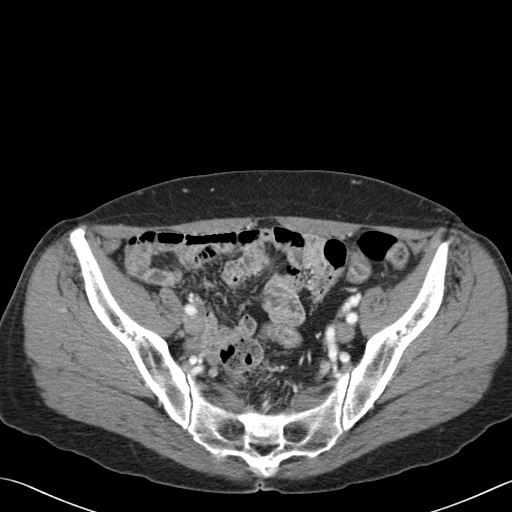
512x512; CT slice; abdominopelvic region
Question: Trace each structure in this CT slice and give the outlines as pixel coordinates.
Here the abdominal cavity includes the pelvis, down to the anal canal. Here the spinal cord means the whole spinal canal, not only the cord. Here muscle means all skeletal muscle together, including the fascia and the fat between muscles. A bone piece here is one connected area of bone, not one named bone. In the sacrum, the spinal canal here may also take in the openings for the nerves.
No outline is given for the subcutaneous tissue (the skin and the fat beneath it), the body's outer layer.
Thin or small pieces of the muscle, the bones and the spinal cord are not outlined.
Answer: The abdominal cavity is outlined by 264 220; 341 238; 382 230; 416 241; 421 254; 394 287; 363 291; 359 360; 300 410; 270 410; 265 400; 262 410; 236 411; 216 401; 200 371; 169 347; 184 322; 182 298; 171 287; 155 293; 130 281; 109 256; 132 232; 228 230. The spinal cord is outlined by 251 443; 252 443; 253 444; 259 444; 260 443; 261 444; 262 444; 263 445; 275 445; 275 446; 274 446; 268 452; 267 452; 266 453; 264 453; 263 454; 262 454; 260 452; 259 452; 257 450; 256 450; 251 445. The bones are outlined by 78 226; 119 306; 236 412; 262 411; 265 401; 270 411; 300 411; 322 400; 334 374; 356 365; 367 340; 409 307; 438 246; 452 241; 442 302; 373 406; 328 450; 293 455; 265 477; 239 456; 217 458; 167 414; 88 301; 67 239, around a hole outlined by 251 443; 252 443; 253 444; 259 444; 260 443; 261 444; 262 444; 263 445; 275 445; 275 446; 274 446; 268 452; 267 452; 266 453; 264 453; 263 454; 262 454; 260 452; 259 452; 257 450; 256 450; 251 445. The muscle appears in 2 outlined pieces: piece 1: 265 215; 418 229; 445 225; 477 240; 498 267; 508 313; 506 351; 482 397; 451 419; 331 471; 274 477; 284 460; 328 451; 374 406; 443 302; 453 238; 437 246; 403 313; 366 339; 358 325; 364 291; 394 288; 408 276; 422 259; 416 240; 377 228; 321 235; 274 219; 228 229; 132 231; 108 256; 130 282; 155 294; 171 288; 181 298; 183 322; 167 341; 120 306; 86 228; 75 226; piece 2: 73 227; 66 239; 78 264; 83 290; 92 311; 126 348; 144 384; 161 403; 169 418; 217 459; 239 457; 251 472; 261 476; 235 481; 209 475; 162 457; 123 435; 71 419; 45 404; 24 351; 22 315; 25 294; 28 279; 40 254. The torso is outlined by 243 169; 324 169; 374 177; 442 204; 489 238; 511 271; 511 418; 493 424; 456 454; 440 461; 337 490; 298 494; 260 489; 252 493; 214 493; 164 485; 106 469; 0 421; 0 317; 28 256; 43 234; 60 220; 81 215; 152 184.